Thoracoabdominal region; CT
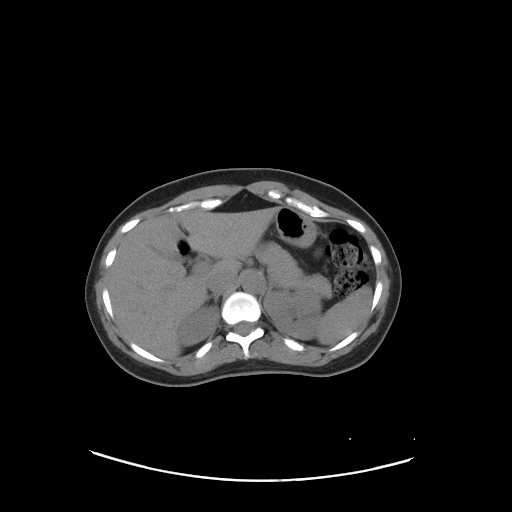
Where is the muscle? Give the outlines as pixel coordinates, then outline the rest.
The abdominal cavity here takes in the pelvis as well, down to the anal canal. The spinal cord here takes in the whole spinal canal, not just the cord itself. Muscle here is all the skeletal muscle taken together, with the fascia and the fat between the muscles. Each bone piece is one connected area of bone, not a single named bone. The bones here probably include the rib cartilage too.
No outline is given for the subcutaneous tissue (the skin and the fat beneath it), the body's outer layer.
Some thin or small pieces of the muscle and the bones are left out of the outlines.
Outlines:
muscle 1: [[263,180],[289,184],[364,221],[380,241],[387,257],[391,285],[385,312],[376,331],[356,349],[333,362],[321,366],[304,366],[266,359],[248,359],[249,347],[265,333],[258,324],[262,313],[272,326],[286,336],[282,338],[283,343],[298,352],[305,349],[304,345],[333,352],[346,346],[359,335],[358,328],[376,307],[383,290],[383,283],[377,280],[376,272],[376,266],[381,263],[382,255],[375,245],[368,245],[362,235],[366,228],[360,221],[353,218],[347,218],[345,220],[347,224],[321,221],[290,206],[262,198],[246,189],[225,201],[219,197],[193,200],[169,206],[166,209],[168,213],[141,222],[139,217],[127,220],[141,211],[160,206],[195,188],[217,184],[246,185]], around holes outlined by [[287,196],[289,196],[290,197],[295,198],[307,205],[315,205],[319,208],[322,209],[324,211],[327,212],[329,214],[329,216],[327,217],[314,217],[310,215],[308,213],[303,211],[301,209],[295,206],[290,205],[288,203],[287,203],[284,199],[284,198]] and by [[272,189],[273,189],[274,190],[277,190],[282,195],[282,197],[281,197],[280,198],[273,198],[272,197],[270,197],[267,194],[267,192],[269,190],[271,190]]
muscle 2: [[125,221],[119,229],[125,235],[117,248],[110,249],[104,259],[104,266],[109,267],[109,271],[107,287],[102,289],[101,298],[106,312],[115,319],[119,329],[129,340],[129,347],[138,355],[158,363],[180,361],[194,355],[199,359],[212,347],[211,340],[221,317],[229,327],[224,336],[225,340],[237,343],[245,359],[221,364],[204,373],[175,375],[136,360],[109,339],[98,313],[94,284],[100,256],[114,231]]
bones 1: [[235,291],[243,291],[252,294],[257,299],[261,307],[261,315],[257,324],[264,330],[264,333],[262,336],[256,338],[250,343],[248,347],[249,357],[247,359],[244,357],[242,347],[237,342],[226,340],[225,336],[230,327],[221,316],[221,308],[224,301]]; inner edge: [[241,321],[246,321],[247,322],[251,322],[254,324],[254,328],[249,333],[248,333],[246,335],[241,335],[240,334],[239,334],[238,333],[237,333],[236,332],[235,332],[232,329],[232,328],[233,327],[233,326],[235,324],[236,324],[237,323],[238,323]]
bones 2: [[213,198],[219,198],[221,199],[223,202],[221,204],[210,209],[205,209],[198,206],[189,209],[184,209],[177,212],[176,211],[175,212],[168,212],[167,211],[167,209],[169,207],[172,206],[177,206],[193,201],[202,201],[203,200],[212,199]]
bones 3: [[287,196],[289,196],[290,197],[295,198],[307,205],[315,205],[319,208],[322,209],[324,211],[327,212],[329,214],[329,216],[327,217],[314,217],[310,215],[308,213],[303,211],[301,209],[295,206],[290,205],[288,203],[287,203],[284,199],[284,198]]
bones 4: [[130,342],[133,342],[135,343],[138,346],[141,347],[143,349],[146,350],[148,352],[153,354],[155,356],[159,358],[161,358],[163,359],[164,360],[164,362],[158,362],[157,361],[154,361],[153,360],[148,359],[138,354],[130,347],[129,345],[129,343]]
bones 5: [[354,331],[358,331],[359,333],[358,335],[349,343],[348,343],[346,345],[336,350],[334,350],[333,351],[329,351],[328,350],[329,348],[332,347],[334,345],[340,342],[343,339],[344,339],[347,336],[348,336],[352,332]]
bones 6: [[104,288],[107,288],[107,290],[109,294],[109,298],[110,299],[110,302],[111,303],[111,307],[112,308],[112,311],[113,312],[114,318],[112,318],[109,315],[109,314],[107,312],[105,308],[105,306],[103,302],[103,299],[102,298],[102,291]]
bones 7: [[377,281],[381,281],[382,283],[382,290],[381,291],[381,294],[379,297],[379,299],[375,307],[372,310],[372,311],[370,311],[370,308],[372,304],[372,300],[373,299],[373,296],[374,295],[375,286],[376,285],[376,282]]
bones 8: [[284,337],[287,337],[288,338],[290,338],[293,340],[295,340],[297,342],[299,342],[300,343],[301,343],[304,346],[304,349],[302,351],[298,351],[297,350],[294,350],[293,349],[292,349],[291,348],[288,347],[284,343],[284,342],[283,341],[283,338]]
bones 9: [[135,218],[139,218],[140,219],[140,220],[139,221],[139,222],[134,227],[133,227],[130,230],[129,230],[128,231],[127,231],[124,233],[122,233],[120,231],[120,229],[121,228],[121,227],[127,221],[128,221],[131,219],[134,219]]
bones 10: [[208,341],[211,341],[211,342],[212,343],[212,345],[211,346],[211,347],[209,349],[209,350],[204,355],[203,355],[201,357],[200,357],[199,358],[197,358],[196,357],[195,357],[195,353],[196,352],[196,351],[202,345],[203,345],[206,342],[207,342]]
bones 11: [[371,245],[373,245],[374,246],[375,246],[379,250],[379,251],[380,252],[380,254],[381,255],[381,261],[378,265],[375,265],[375,264],[374,263],[374,260],[372,257],[372,255],[371,254],[371,252],[370,251],[370,249],[369,248],[369,246],[370,246]]
bones 12: [[347,219],[353,219],[354,220],[356,220],[357,221],[360,222],[364,226],[364,227],[365,228],[365,232],[364,232],[363,233],[361,233],[360,232],[359,232],[357,230],[356,230],[353,227],[352,227],[350,225],[349,225],[346,222],[346,220]]
bones 13: [[113,248],[115,248],[116,249],[116,252],[115,253],[115,256],[113,259],[113,261],[112,262],[112,263],[111,264],[111,265],[110,265],[108,267],[106,267],[105,266],[105,259],[106,258],[106,256],[107,255],[107,254],[108,253],[108,252]]
mediastinum: [[249,270],[256,270],[260,272],[263,272],[263,274],[266,279],[266,284],[265,285],[265,292],[261,297],[260,301],[259,301],[258,299],[252,293],[250,293],[249,292],[247,292],[243,290],[235,290],[230,293],[234,288],[239,278],[246,271],[248,271]]
spinal cord: [[241,321],[246,321],[247,322],[251,322],[254,324],[254,328],[249,333],[248,333],[246,335],[241,335],[240,334],[239,334],[238,333],[237,333],[236,332],[235,332],[232,329],[232,328],[233,327],[233,326],[235,324],[236,324],[237,323],[238,323]]
torso: [[237,167],[285,169],[329,183],[361,205],[386,233],[401,269],[401,296],[383,341],[360,366],[327,377],[258,374],[226,377],[194,386],[168,387],[127,373],[111,359],[102,346],[88,317],[84,287],[94,250],[110,222],[134,199],[158,185],[201,171]]
abdominal cavity: [[242,190],[321,222],[348,225],[361,234],[376,273],[369,312],[361,325],[328,348],[310,347],[288,337],[262,312],[264,272],[249,269],[223,301],[211,339],[190,357],[165,360],[130,341],[116,321],[108,290],[110,266],[127,232],[156,216],[213,209]]